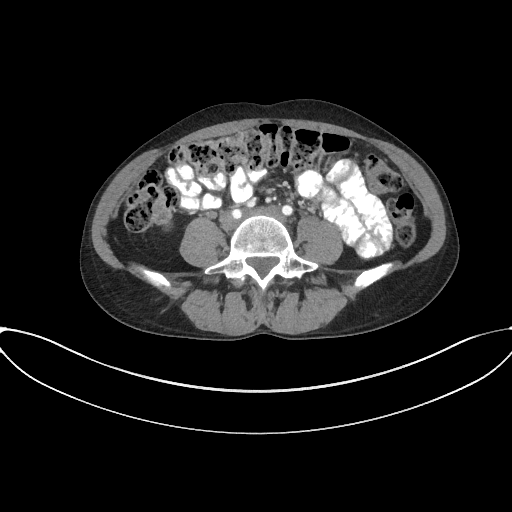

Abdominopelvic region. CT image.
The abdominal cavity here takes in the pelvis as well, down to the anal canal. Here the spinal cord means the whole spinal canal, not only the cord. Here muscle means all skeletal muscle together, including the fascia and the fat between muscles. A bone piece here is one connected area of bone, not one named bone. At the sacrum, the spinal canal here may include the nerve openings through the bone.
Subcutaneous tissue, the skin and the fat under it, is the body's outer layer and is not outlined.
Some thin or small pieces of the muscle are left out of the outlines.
The spinal cord is outlined by 261,277 264,276 269,271 269,270 275,264 276,264 276,263 278,260 278,259 276,257 250,257 249,258 247,258 246,259 246,261 247,262 247,263 248,264 251,265 258,272 258,273 260,275 260,276. The torso is outlined by 219,341 258,334 293,340 352,336 387,327 425,308 443,290 459,259 452,209 431,167 370,119 342,105 314,98 271,104 240,101 210,105 136,148 105,179 88,208 79,249 84,286 103,311 128,327 161,336. The muscle is outlined by 227,335 248,333 262,324 290,334 323,327 364,289 353,286 362,270 332,268 342,251 339,234 325,222 302,217 294,247 317,262 317,270 300,279 277,276 264,292 248,277 240,284 223,274 205,275 203,269 224,257 229,245 214,222 199,216 187,226 179,251 200,270 162,272 172,285 152,286 140,273 150,268 121,262 106,229 159,156 185,141 270,120 373,144 400,169 430,223 424,246 406,262 391,261 391,271 381,279 426,261 444,243 443,206 422,166 389,142 339,125 268,117 204,127 130,161 96,207 91,226 95,251 113,269 173,299 198,329. The abdominal cavity is outlined by 159,271 199,270 178,251 199,215 229,244 250,215 273,215 293,240 297,221 312,216 340,234 343,251 331,266 362,269 408,260 425,243 429,223 399,169 373,145 260,122 166,152 120,208 107,229 116,255. The bones appear in 3 outlined pieces: piece 1: 263,291 277,275 283,278 300,278 304,273 317,269 318,264 304,259 295,252 289,232 282,222 273,216 258,214 246,218 239,224 230,238 228,254 206,267 203,272 223,273 226,278 237,279 240,283 248,276, around a hole outlined by 261,277 264,276 269,271 269,270 275,264 276,264 276,263 278,260 278,259 276,257 250,257 249,258 247,258 246,259 246,261 247,262 247,263 248,264 251,265 258,272 258,273 260,275 260,276; piece 2: 359,288 364,288 386,275 390,271 392,267 392,265 393,264 392,262 390,261 389,262 385,262 379,265 377,265 376,266 374,266 373,267 371,267 367,269 364,269 355,278 355,280 354,281 354,286 358,287; piece 3: 157,287 159,286 161,286 162,285 164,286 166,286 167,287 169,287 171,285 169,280 161,272 159,272 155,270 151,270 150,269 143,268 141,270 141,273 143,275 143,277 149,283.